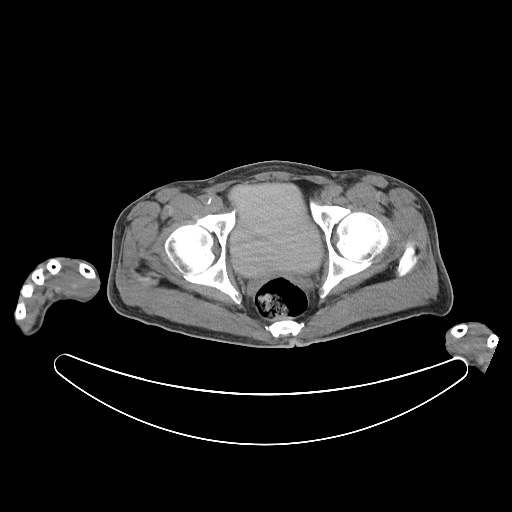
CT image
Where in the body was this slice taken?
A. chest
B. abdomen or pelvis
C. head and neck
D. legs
Answer: B. abdomen or pelvis
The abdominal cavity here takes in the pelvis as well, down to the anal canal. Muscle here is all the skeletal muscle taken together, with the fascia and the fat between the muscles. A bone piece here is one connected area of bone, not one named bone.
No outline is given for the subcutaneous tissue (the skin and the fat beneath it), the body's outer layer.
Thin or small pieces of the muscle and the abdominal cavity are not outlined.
The bones appear in 9 outlined pieces: piece 1: (310, 201) (320, 205) (338, 205) (348, 208) (352, 211) (362, 211) (369, 213) (380, 220) (385, 227) (389, 237) (387, 246) (373, 258) (372, 263) (369, 266) (341, 280) (323, 298) (320, 298) (319, 293) (320, 288) (328, 273) (328, 250) (325, 241) (325, 235) (311, 215); piece 2: (232, 210) (235, 211) (235, 223) (229, 232) (226, 239) (225, 265) (227, 276) (231, 284) (241, 295) (242, 299) (239, 304) (236, 304) (227, 294) (215, 287) (193, 283) (186, 280) (168, 258) (164, 249) (165, 240) (179, 226) (193, 223) (198, 218) (207, 214) (225, 213); piece 3: (40, 266) (43, 268) (44, 281) (40, 285) (35, 284) (33, 286) (33, 291) (31, 295) (29, 297) (23, 299) (25, 304) (25, 317) (23, 319) (17, 320) (14, 315) (14, 313) (18, 300) (21, 297) (20, 290) (24, 284) (31, 280) (30, 278) (32, 272) (36, 268); piece 4: (281, 320) (293, 320) (297, 322) (300, 322) (302, 321) (304, 323) (304, 325) (300, 331) (294, 336) (290, 333) (288, 333) (287, 334) (280, 334) (278, 337) (275, 337) (273, 336) (272, 334) (265, 328) (265, 326) (266, 325) (269, 325) (273, 322) (280, 321); piece 5: (408, 242) (411, 242) (414, 244) (414, 246) (415, 247) (415, 253) (417, 256) (417, 261) (414, 265) (414, 266) (407, 273) (406, 273) (402, 276) (400, 276) (398, 275) (398, 273) (397, 272) (397, 267) (398, 266) (399, 260) (404, 251) (405, 245); piece 6: (51, 258) (56, 258) (57, 259) (58, 259) (59, 260) (59, 261) (60, 262) (60, 263) (61, 264) (61, 268) (59, 270) (59, 271) (56, 274) (52, 274) (46, 268) (46, 264) (47, 263) (47, 262) (48, 261) (48, 260) (49, 260); piece 7: (80, 262) (82, 262) (83, 263) (85, 263) (86, 264) (87, 264) (93, 270) (93, 271) (94, 272) (94, 273) (95, 274) (95, 277) (94, 278) (87, 278) (86, 277) (85, 277) (83, 275) (82, 275) (80, 273) (80, 272) (79, 271) (79, 263); piece 8: (460, 324) (464, 324) (465, 325) (466, 325) (467, 326) (467, 330) (466, 331) (466, 332) (464, 335) (463, 335) (462, 336) (461, 336) (458, 338) (456, 338) (455, 337) (454, 337) (450, 333) (450, 331) (451, 330) (451, 329) (454, 326) (455, 326) (456, 325) (459, 325); piece 9: (492, 333) (493, 333) (494, 334) (495, 334) (497, 336) (497, 341) (496, 342) (496, 344) (495, 345) (495, 347) (494, 347) (493, 348) (490, 348) (489, 347) (488, 347) (487, 346) (487, 338) (489, 336) (489, 335) (490, 334) (491, 334). The torso is outlined by (265, 160) (289, 160) (331, 170) (373, 170) (402, 180) (421, 192) (434, 213) (439, 250) (453, 290) (453, 304) (449, 312) (443, 316) (422, 314) (291, 349) (246, 347) (191, 337) (117, 313) (108, 301) (106, 287) (112, 230) (120, 212) (135, 199) (165, 183) (200, 180). The abdominal cavity is outlined by (290, 180) (306, 180) (321, 186) (311, 194) (313, 200) (309, 201) (309, 210) (313, 221) (322, 231) (321, 238) (327, 253) (315, 311) (300, 321) (281, 319) (269, 324) (252, 316) (242, 300) (228, 255) (228, 236) (236, 223) (236, 211) (223, 197) (224, 191) (234, 184). The muscle appears in 4 outlined pieces: piece 1: (269, 170) (319, 175) (332, 180) (370, 174) (408, 188) (425, 211) (425, 223) (437, 271) (436, 299) (428, 304) (363, 319) (326, 334) (296, 341) (276, 342) (174, 322) (125, 304) (116, 286) (116, 269) (124, 232) (123, 222) (134, 206) (150, 194) (167, 187) (211, 186) with holes at (290, 180) (320, 185) (310, 196) (317, 204) (376, 217) (389, 242) (369, 266) (319, 297) (296, 335) (275, 337) (265, 328) (269, 324) (252, 316) (242, 300) (236, 304) (215, 287) (186, 280) (168, 258) (164, 243) (181, 225) (229, 212) (232, 208) (223, 197) (228, 187) and at (408, 242) (411, 242) (414, 244) (414, 246) (415, 247) (415, 253) (417, 256) (417, 261) (414, 265) (414, 266) (407, 273) (406, 273) (402, 276) (400, 276) (398, 275) (398, 273) (397, 272) (397, 267) (398, 266) (399, 260) (404, 251) (405, 245); piece 2: (61, 259) (79, 262) (78, 271) (87, 279) (94, 279) (96, 276) (95, 290) (85, 296) (55, 294) (41, 306) (32, 326) (25, 329) (20, 323) (26, 317) (24, 299) (32, 295) (35, 285) (44, 283) (42, 266) (45, 264) (45, 268) (52, 275) (56, 275) (62, 268); piece 3: (469, 325) (477, 326) (478, 328) (484, 329) (489, 333) (486, 338) (486, 346) (490, 349) (494, 348) (494, 351) (487, 367) (480, 364) (475, 359) (472, 359) (468, 357) (467, 355) (456, 353) (450, 345) (449, 342) (450, 335) (456, 339) (464, 336) (468, 330); piece 4: (227, 239) (227, 255) (229, 258) (229, 263) (231, 266) (231, 269) (233, 272) (233, 275) (235, 278) (235, 280) (236, 281) (236, 283) (238, 287) (238, 290) (232, 284) (228, 276) (228, 273) (227, 272) (227, 266) (226, 265) (226, 254) (227, 253) (226, 245) (227, 244). The right arm is outlined by (54, 256) (78, 257) (92, 263) (96, 267) (100, 277) (99, 290) (90, 300) (86, 302) (80, 302) (71, 299) (56, 301) (46, 311) (41, 327) (35, 333) (26, 336) (20, 331) (14, 323) (14, 313) (18, 302) (20, 290) (25, 278) (34, 269) (36, 265) (39, 262). The left arm is outlined by (470, 320) (477, 320) (485, 323) (493, 331) (493, 333) (497, 336) (497, 341) (494, 348) (493, 354) (485, 371) (483, 373) (471, 364) (468, 363) (466, 360) (460, 355) (450, 355) (445, 348) (445, 333) (446, 331) (449, 328) (458, 323) (464, 322) (465, 321) (469, 321).